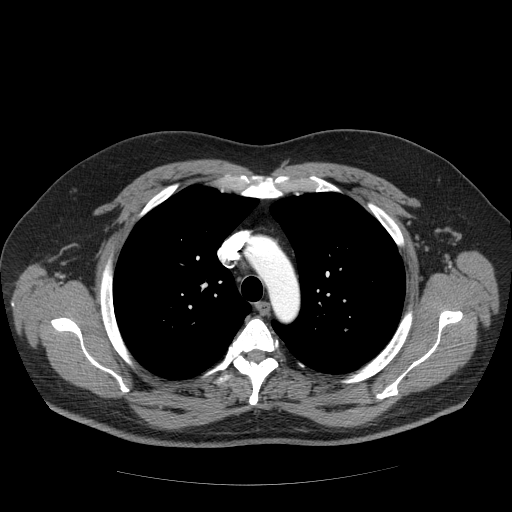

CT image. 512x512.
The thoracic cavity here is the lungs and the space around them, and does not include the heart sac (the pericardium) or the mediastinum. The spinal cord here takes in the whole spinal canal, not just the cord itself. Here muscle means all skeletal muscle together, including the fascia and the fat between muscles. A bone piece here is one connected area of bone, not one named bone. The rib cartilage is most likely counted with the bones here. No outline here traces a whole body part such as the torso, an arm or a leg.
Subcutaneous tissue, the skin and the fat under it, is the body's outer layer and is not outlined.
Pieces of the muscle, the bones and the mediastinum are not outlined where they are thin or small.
Outlined structures:
mediastinum: 262 199; 273 199; 269 213; 279 224; 292 247; 300 290; 300 308; 297 317; 288 324; 275 319; 271 321; 277 337; 258 315; 253 316; 244 324; 245 317; 251 311; 251 305; 239 293; 231 270; 224 266; 217 256; 217 250; 224 240
bones 1: 256 316; 265 323; 272 335; 278 338; 285 352; 285 361; 265 378; 258 392; 257 404; 252 405; 249 403; 252 393; 250 379; 231 364; 226 371; 232 376; 219 385; 213 383; 219 372; 206 379; 201 379; 200 376; 222 359; 237 333 with a hole at 252 350; 259 350; 260 351; 262 351; 264 353; 265 353; 265 356; 264 357; 264 358; 261 361; 260 361; 257 363; 254 361; 250 361; 249 360; 248 360; 247 359; 247 358; 246 357; 246 356; 247 355; 247 354; 249 352; 250 352
bones 2: 226 174; 236 176; 245 175; 248 177; 254 174; 260 174; 273 178; 279 175; 289 175; 294 178; 314 175; 334 184; 340 188; 343 193; 335 191; 296 191; 274 199; 260 199; 256 197; 243 196; 223 188; 206 185; 205 182; 220 178
bones 3: 112 252; 113 253; 113 276; 112 277; 112 302; 113 303; 113 311; 121 337; 127 349; 136 362; 136 364; 134 367; 130 366; 119 355; 113 347; 107 335; 102 320; 102 316; 100 310; 99 288; 100 287; 102 272; 105 263; 108 257
bones 4: 409 307; 410 307; 412 310; 412 313; 413 314; 411 327; 403 345; 395 356; 382 369; 366 379; 357 382; 354 382; 353 383; 341 383; 339 382; 339 380; 343 378; 346 374; 348 374; 357 370; 373 359; 387 345; 395 333; 403 314
bones 5: 443 310; 459 310; 462 312; 461 319; 454 323; 448 323; 443 327; 435 350; 426 359; 414 366; 400 380; 397 385; 398 393; 396 395; 380 400; 377 399; 375 397; 376 393; 381 392; 387 385; 393 382; 434 344; 437 338; 439 315
bones 6: 58 317; 67 317; 77 324; 81 331; 83 343; 88 353; 97 362; 113 370; 121 376; 122 380; 129 388; 129 391; 122 392; 118 382; 112 375; 90 362; 85 356; 81 348; 79 338; 75 333; 67 330; 58 331; 52 326; 51 320
bones 7: 369 201; 374 203; 376 205; 382 208; 393 218; 393 219; 399 227; 399 229; 402 234; 403 240; 404 241; 404 245; 399 250; 398 247; 394 242; 393 239; 390 236; 390 235; 384 228; 384 227; 379 222; 379 221; 364 207; 367 202
bones 8: 176 182; 178 182; 179 183; 179 186; 177 188; 176 191; 168 198; 151 209; 141 218; 136 221; 134 223; 134 224; 134 221; 135 219; 137 217; 138 214; 147 203; 147 202; 154 195; 155 195; 165 186; 172 184; 173 183; 175 183
spinal cord: 252 350; 259 350; 260 351; 262 351; 264 353; 265 353; 265 356; 264 357; 264 358; 261 361; 260 361; 257 363; 254 361; 250 361; 249 360; 248 360; 247 359; 247 358; 246 357; 246 356; 247 355; 247 354; 249 352; 250 352
muscle: 200 158; 224 159; 255 173; 226 173; 177 191; 178 181; 165 185; 137 214; 114 267; 112 251; 104 263; 101 320; 130 367; 137 362; 166 380; 200 374; 206 380; 219 373; 212 380; 219 386; 233 376; 231 365; 249 379; 248 403; 255 406; 286 353; 300 369; 345 375; 341 384; 372 377; 396 356; 414 317; 410 306; 403 313; 400 227; 379 205; 369 200; 363 206; 314 174; 265 175; 306 161; 364 169; 419 200; 424 209; 413 236; 424 278; 471 249; 489 260; 499 309; 467 363; 351 428; 252 409; 180 430; 156 429; 61 378; 17 333; 10 299; 18 276; 34 261; 46 261; 88 286; 104 235; 94 209; 156 166, around holes outlined by 443 310; 459 310; 462 312; 461 319; 454 323; 448 323; 443 327; 435 350; 426 359; 414 366; 400 380; 397 385; 398 393; 396 395; 380 400; 377 399; 375 397; 376 393; 381 392; 387 385; 393 382; 434 344; 437 338; 439 315 and by 58 317; 67 317; 77 324; 81 331; 83 343; 88 353; 97 362; 113 370; 121 376; 122 380; 129 388; 129 391; 122 392; 118 382; 112 375; 90 362; 85 356; 81 348; 79 338; 75 333; 67 330; 58 331; 52 326; 51 320
thoracic cavity 1: 198 183; 216 189; 223 189; 243 197; 259 199; 255 207; 216 250; 218 260; 230 270; 238 293; 251 308; 244 317; 241 328; 220 360; 193 377; 166 379; 151 373; 140 365; 122 337; 114 311; 114 268; 122 246; 135 223; 176 192
thoracic cavity 2: 296 192; 335 192; 349 196; 383 227; 403 261; 405 295; 401 317; 394 333; 373 358; 345 374; 322 373; 296 360; 282 348; 272 326; 273 320; 283 325; 291 324; 298 317; 301 308; 295 252; 280 224; 270 213; 270 207; 275 199